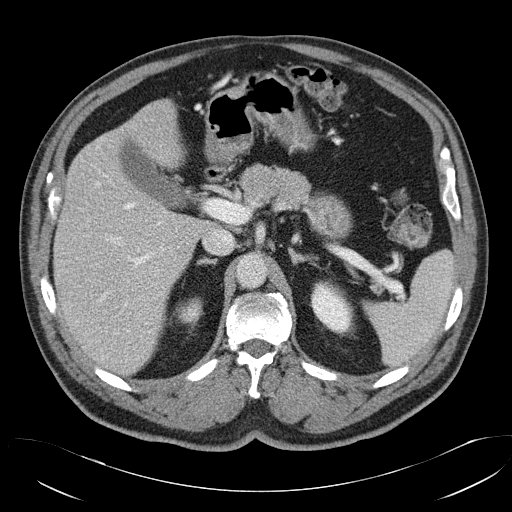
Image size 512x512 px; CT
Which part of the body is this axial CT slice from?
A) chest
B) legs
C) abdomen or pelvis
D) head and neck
Answer: C) abdomen or pelvis
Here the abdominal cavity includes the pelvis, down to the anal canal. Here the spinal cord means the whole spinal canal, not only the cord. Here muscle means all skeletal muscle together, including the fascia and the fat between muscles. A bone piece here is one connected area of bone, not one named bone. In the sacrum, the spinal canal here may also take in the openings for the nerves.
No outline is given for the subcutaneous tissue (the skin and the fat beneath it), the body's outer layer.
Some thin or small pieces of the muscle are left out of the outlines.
muscle: 242 41; 294 42; 313 45; 341 53; 349 56; 356 61; 369 65; 374 68; 381 69; 391 74; 405 85; 415 90; 433 102; 445 115; 457 138; 465 163; 468 182; 471 190; 472 205; 477 225; 477 239; 476 240; 477 266; 474 276; 474 282; 471 288; 469 310; 467 317; 463 324; 463 328; 458 339; 456 349; 450 361; 444 369; 429 383; 396 398; 369 416; 359 421; 326 433; 304 432; 299 430; 295 424; 292 425; 286 424; 272 415; 268 408; 260 401; 256 401; 249 405; 248 404; 246 405; 230 421; 224 424; 218 423; 215 427; 208 428; 199 432; 176 429; 164 426; 153 421; 150 421; 127 409; 117 406; 111 402; 104 401; 100 397; 86 389; 72 378; 65 370; 50 348; 44 333; 44 329; 40 322; 38 313; 38 302; 30 280; 30 270; 28 262; 28 241; 27 240; 30 232; 30 211; 31 210; 30 205; 32 200; 33 183; 47 144; 68 112; 83 97; 90 92; 107 84; 122 74; 136 67; 149 62; 169 58; 200 48 with a hole at 251 44; 287 48; 365 74; 409 104; 431 128; 441 194; 445 176; 439 152; 443 146; 449 149; 461 218; 456 221; 444 209; 455 285; 462 289; 459 315; 408 363; 402 377; 378 388; 371 387; 376 375; 340 372; 336 380; 323 380; 307 373; 301 360; 320 365; 298 353; 289 337; 282 344; 291 350; 280 350; 262 368; 260 396; 253 398; 248 367; 236 363; 235 352; 222 348; 226 335; 211 356; 217 365; 198 380; 187 380; 184 373; 129 379; 136 391; 114 387; 94 372; 58 308; 50 313; 42 296; 40 278; 50 278; 56 222; 48 213; 46 176; 53 173; 51 185; 61 192; 70 142; 100 105; 151 75; 213 51
torso: 226 34; 318 35; 377 53; 428 85; 449 108; 466 142; 488 227; 481 319; 446 389; 376 437; 317 451; 280 449; 257 439; 210 452; 140 440; 85 415; 58 384; 31 331; 18 227; 24 181; 43 135; 77 93; 121 63; 161 46
bones 1: 247 292; 279 292; 287 301; 291 314; 289 337; 282 344; 291 350; 285 352; 280 350; 273 361; 262 368; 257 385; 260 393; 258 398; 248 394; 251 385; 248 367; 236 363; 235 352; 222 348; 227 341; 225 323; 228 309; 234 299, around a hole outlined by 252 339; 259 339; 260 340; 263 340; 264 341; 267 342; 271 346; 271 347; 270 348; 270 350; 269 351; 264 353; 262 355; 261 355; 258 357; 254 357; 243 348; 243 344; 245 342; 246 342; 249 340; 251 340
bones 2: 443 146; 446 146; 449 149; 451 157; 451 162; 455 170; 455 188; 458 196; 460 212; 461 213; 461 218; 458 221; 456 221; 453 218; 449 211; 442 203; 441 199; 441 194; 443 190; 445 176; 439 170; 438 161; 439 160; 439 152
bones 3: 457 285; 459 285; 462 289; 462 303; 461 304; 461 309; 460 310; 458 317; 451 326; 451 327; 448 330; 444 330; 443 329; 443 327; 446 321; 446 317; 447 316; 447 314; 450 307; 450 303; 452 300; 452 297; 454 293; 454 289
bones 4: 50 171; 53 173; 53 179; 52 180; 51 185; 52 186; 56 186; 58 187; 57 192; 61 197; 59 205; 57 208; 57 216; 54 220; 50 217; 48 213; 48 209; 47 208; 47 196; 51 187; 46 185; 46 176; 48 172
bones 5: 94 366; 97 366; 108 372; 110 372; 112 374; 114 374; 116 376; 118 376; 123 380; 126 381; 134 389; 135 389; 136 391; 127 391; 126 390; 120 389; 119 388; 117 388; 116 387; 114 387; 110 385; 105 381; 102 380; 94 372
bones 6: 301 360; 304 360; 309 363; 314 364; 317 366; 321 366; 331 371; 334 371; 337 373; 339 373; 339 376; 336 380; 323 380; 322 379; 320 379; 315 376; 313 376; 307 373; 301 366; 301 364; 300 363; 300 361
bones 7: 43 275; 46 275; 48 277; 53 288; 53 292; 54 293; 54 296; 55 297; 55 302; 56 303; 56 312; 55 314; 52 314; 50 313; 50 312; 45 305; 45 303; 42 296; 42 293; 41 292; 41 287; 40 286; 40 278
bones 8: 406 364; 408 364; 409 366; 409 370; 402 377; 401 377; 398 380; 390 384; 388 384; 387 385; 385 385; 384 386; 382 386; 378 388; 372 388; 371 387; 372 384; 377 379; 378 379; 384 374; 396 368; 401 367
bones 9: 212 358; 217 358; 219 360; 219 361; 217 365; 211 372; 207 374; 204 377; 198 380; 196 380; 195 381; 190 381; 189 380; 187 380; 185 379; 185 376; 186 374; 187 374; 192 370; 194 370; 196 368; 199 367; 202 364; 205 363
spinal cord: 252 339; 259 339; 260 340; 263 340; 264 341; 267 342; 271 346; 271 347; 270 348; 270 350; 269 351; 264 353; 262 355; 261 355; 258 357; 254 357; 243 348; 243 344; 245 342; 246 342; 249 340; 251 340
abdominal cavity: 251 44; 287 48; 365 74; 427 122; 456 264; 445 321; 408 363; 379 377; 356 376; 294 349; 292 314; 279 291; 247 291; 232 300; 225 335; 208 360; 185 375; 127 381; 82 353; 57 307; 49 259; 66 152; 96 108; 147 77